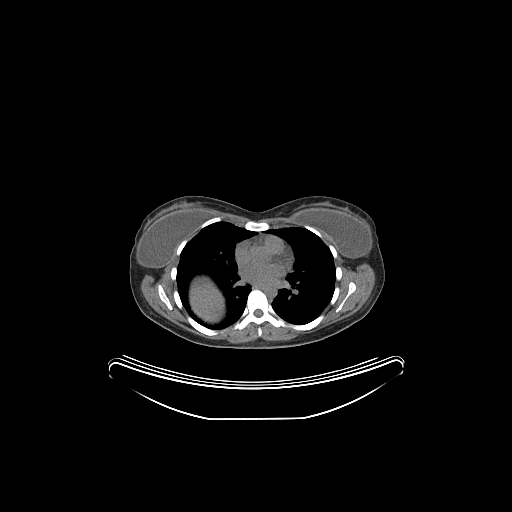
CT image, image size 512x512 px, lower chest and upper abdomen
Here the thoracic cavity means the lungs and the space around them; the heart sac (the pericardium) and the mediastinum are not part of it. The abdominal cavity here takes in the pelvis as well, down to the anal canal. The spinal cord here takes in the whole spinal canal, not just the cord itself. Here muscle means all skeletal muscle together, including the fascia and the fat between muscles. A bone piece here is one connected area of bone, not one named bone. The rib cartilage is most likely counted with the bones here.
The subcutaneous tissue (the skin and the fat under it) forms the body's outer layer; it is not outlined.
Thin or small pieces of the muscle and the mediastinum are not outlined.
{"spinal_cord":[[[257,309],[258,309],[259,309],[260,310],[261,310],[262,311],[262,312],[262,313],[262,314],[261,315],[260,316],[259,316],[258,316],[257,316],[256,316],[255,315],[254,314],[254,313],[254,312],[255,311],[255,310],[256,310]]],"abdominal_cavity":[[[200,274],[204,274],[211,278],[221,292],[221,295],[223,297],[224,303],[225,304],[225,313],[223,317],[220,319],[219,321],[210,322],[202,319],[195,313],[194,313],[190,306],[190,303],[188,299],[188,290],[189,289],[189,284],[192,278]]],"muscle":[{"outer":[[317,229],[331,239],[341,254],[345,266],[353,269],[359,263],[368,263],[374,271],[375,282],[368,299],[360,309],[309,333],[300,334],[289,340],[275,341],[257,338],[232,343],[224,339],[209,339],[185,330],[159,314],[142,294],[140,285],[143,276],[149,273],[158,278],[175,253],[178,263],[170,269],[170,278],[176,282],[176,288],[172,292],[173,299],[179,309],[183,308],[187,312],[186,320],[189,325],[202,334],[215,336],[229,329],[242,330],[251,322],[257,326],[256,333],[259,337],[263,333],[261,325],[264,322],[276,328],[311,330],[324,319],[324,309],[337,300],[340,288],[335,284],[342,278],[342,268],[334,262],[338,257],[338,252],[336,248],[335,247],[331,243],[327,245]],"holes":[[[159,284],[160,284],[162,286],[162,287],[170,302],[170,304],[172,306],[172,309],[169,309],[167,307],[167,306],[165,304],[165,303],[164,302],[163,302],[160,299],[160,298],[159,297],[159,294],[158,293],[158,289],[157,288],[157,287]],[[350,282],[353,282],[355,284],[355,286],[356,287],[355,288],[355,290],[346,299],[341,309],[339,311],[336,312],[336,309],[337,307],[339,305],[341,301],[344,298],[344,297],[346,295],[348,291],[348,286]]]},[[272,217],[288,217],[290,219],[290,220],[293,223],[295,223],[298,225],[303,225],[303,226],[282,226],[281,227],[271,227],[271,225],[269,223],[268,223],[266,221],[258,221],[258,220],[259,220],[260,219],[262,219],[263,218],[271,218]],[[217,212],[227,212],[228,213],[231,213],[232,214],[235,214],[236,215],[243,216],[244,217],[246,217],[250,219],[246,221],[243,224],[242,226],[240,226],[230,221],[228,221],[227,220],[223,220],[221,216],[219,215],[217,215]],[[199,228],[199,230],[189,240],[187,238],[184,238],[185,238],[187,236],[188,236],[189,235],[190,235],[192,233],[193,233],[194,232],[195,232]]],"bones":[{"outer":[[252,289],[262,291],[274,311],[288,323],[306,324],[322,313],[324,317],[308,330],[276,327],[264,321],[260,325],[262,333],[259,336],[258,326],[251,321],[242,329],[229,328],[215,335],[207,335],[190,325],[187,316],[210,329],[224,329],[240,318]],"hole":[[257,309],[258,309],[259,309],[260,310],[261,310],[262,311],[262,312],[262,313],[262,314],[261,315],[260,316],[259,316],[258,316],[257,316],[256,316],[255,315],[254,314],[254,313],[254,312],[255,311],[255,310],[256,310]]},[[249,220],[253,220],[254,221],[257,221],[258,222],[266,222],[270,225],[270,228],[269,228],[265,231],[257,231],[256,232],[255,231],[253,231],[252,230],[248,230],[247,229],[246,229],[243,226],[244,225],[244,224]],[[350,282],[353,282],[355,284],[355,286],[356,287],[355,288],[355,290],[346,299],[341,309],[339,311],[336,312],[336,309],[337,307],[339,305],[341,301],[344,298],[344,297],[346,295],[348,291],[348,286]],[[159,284],[160,284],[162,286],[162,287],[170,302],[170,304],[172,306],[172,309],[169,309],[167,307],[167,306],[165,304],[165,303],[164,302],[163,302],[160,299],[160,298],[159,297],[159,294],[158,293],[158,289],[157,288],[157,287]],[[217,216],[219,216],[220,217],[221,217],[222,220],[221,220],[220,221],[217,221],[216,222],[213,222],[212,223],[210,223],[200,229],[200,227],[201,226],[201,225],[205,221],[206,221],[209,219],[211,219],[214,217],[216,217]],[[176,289],[178,292],[178,294],[179,295],[179,297],[180,298],[180,300],[181,301],[181,303],[182,304],[182,306],[183,307],[181,309],[177,306],[177,305],[175,302],[175,300],[174,299],[174,296],[173,295],[173,292],[174,291],[174,290],[175,290]],[[335,286],[337,286],[339,288],[339,293],[338,294],[338,296],[337,297],[336,300],[334,302],[334,303],[331,305],[330,304],[329,304],[329,303],[330,302],[330,301],[331,300],[331,298],[333,295],[333,293],[334,292],[334,289],[335,288]],[[183,239],[187,239],[188,240],[188,241],[185,244],[185,245],[183,247],[183,248],[182,249],[182,250],[181,251],[181,252],[180,253],[179,256],[178,256],[176,254],[176,250],[177,249],[177,248],[178,247],[179,244]],[[305,224],[307,224],[308,225],[310,225],[311,226],[314,227],[322,235],[322,238],[319,237],[315,233],[314,233],[312,231],[311,231],[310,230],[309,230],[308,229],[305,228],[304,227],[304,225]],[[329,244],[331,244],[335,248],[335,249],[336,250],[336,251],[337,252],[337,257],[335,259],[334,259],[334,258],[333,257],[333,255],[332,254],[332,253],[331,252],[331,251],[330,250],[330,249],[328,247],[328,245]],[[336,266],[339,266],[341,268],[341,278],[339,280],[336,280],[336,270],[335,269],[336,268]],[[173,266],[176,266],[176,278],[175,279],[175,280],[172,280],[172,279],[171,278],[171,269],[172,268],[172,267]]],"breast_implant":[[[195,207],[206,207],[212,209],[216,213],[216,216],[205,220],[195,231],[184,237],[179,242],[170,262],[164,267],[156,269],[155,268],[143,267],[140,265],[136,260],[136,248],[141,237],[145,232],[148,226],[170,211],[181,210],[187,208],[194,208]],[[306,208],[334,209],[354,215],[363,221],[370,228],[372,236],[372,243],[370,250],[366,255],[362,257],[349,258],[346,256],[344,256],[334,244],[332,239],[320,229],[307,223],[298,224],[295,222],[293,222],[291,220],[289,217],[291,214],[296,211]]],"mediastinum":[[[238,268],[239,273],[244,278],[246,278],[248,280],[254,280],[259,282],[273,282],[284,276],[285,277],[281,283],[281,286],[277,290],[275,296],[270,302],[267,295],[262,290],[259,288],[252,288],[249,283],[244,283],[244,280],[242,279],[238,273]]],"pericardium":[[[262,234],[271,234],[281,238],[289,246],[293,254],[293,263],[291,268],[292,269],[285,275],[273,281],[259,281],[254,279],[248,279],[246,277],[244,277],[240,273],[240,270],[236,261],[235,252],[237,245],[244,240],[247,240],[256,236],[259,236]]],"thoracic_cavity":[{"outer":[[221,221],[230,222],[248,231],[255,232],[255,234],[237,242],[234,248],[237,273],[243,283],[249,284],[251,288],[247,294],[244,308],[239,318],[231,325],[221,329],[214,329],[195,320],[184,308],[177,289],[176,279],[179,257],[186,244],[201,229]],"hole":[[200,274],[204,274],[211,278],[221,292],[221,295],[223,297],[224,303],[225,304],[225,313],[223,317],[220,319],[219,321],[210,322],[202,319],[195,313],[194,313],[190,306],[190,303],[188,299],[188,290],[189,289],[189,284],[192,278]]},[[282,227],[303,227],[312,232],[324,242],[333,258],[335,266],[335,283],[330,300],[320,314],[306,323],[298,324],[286,321],[275,311],[271,304],[278,290],[282,286],[286,275],[293,271],[295,259],[293,250],[287,241],[277,235],[265,232],[271,228]]],"torso":[[[185,195],[209,196],[253,211],[263,211],[310,195],[332,196],[357,205],[375,223],[383,258],[385,281],[377,300],[362,319],[346,329],[322,340],[292,347],[210,347],[193,343],[164,329],[147,318],[134,300],[129,281],[129,255],[143,218],[162,203]]]}